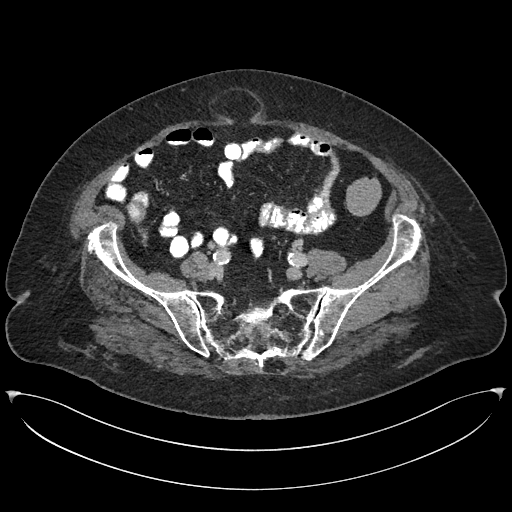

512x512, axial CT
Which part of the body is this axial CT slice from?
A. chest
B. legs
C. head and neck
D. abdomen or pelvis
D. abdomen or pelvis
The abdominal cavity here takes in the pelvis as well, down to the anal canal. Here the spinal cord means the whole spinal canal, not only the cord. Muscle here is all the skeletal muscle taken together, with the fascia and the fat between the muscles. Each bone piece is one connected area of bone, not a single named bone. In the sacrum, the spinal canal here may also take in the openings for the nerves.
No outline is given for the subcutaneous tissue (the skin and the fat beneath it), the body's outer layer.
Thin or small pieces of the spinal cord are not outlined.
Outlined structures:
torso: 237,68 297,75 359,96 407,124 452,164 486,211 505,256 507,283 499,299 507,323 494,351 361,403 257,420 156,407 12,352 4,328 14,304 5,290 7,263 30,202 53,164 84,131 119,107 192,77
spinal cord 1: 226,303 229,303 233,306 235,306 237,307 238,309 238,313 237,315 233,317 231,317 230,316 229,317 226,317 224,315 224,314 222,312 222,310 223,309 223,306 224,304
spinal cord 2: 279,303 281,303 282,304 283,304 283,305 285,307 285,308 286,309 286,312 284,314 283,314 282,315 277,315 276,314 275,314 275,313 274,312 274,307 275,306 275,305 276,305 277,304 278,304
bones: 394,212 421,229 413,258 352,303 314,358 273,356 262,368 246,357 207,358 190,349 157,300 87,250 93,228 113,221 122,260 141,282 165,292 216,292 225,298 221,312 233,318 289,288 361,284 391,249; inner edges: 261,342 264,342 266,344 266,346 267,347 267,348 265,350 264,350 263,351 262,351 261,352 257,352 256,351 255,351 254,350 252,350 250,348 252,346 252,344 253,344 254,343 260,343, then 279,303 281,303 282,304 283,304 283,305 285,307 285,308 286,309 286,312 284,314 283,314 282,315 277,315 276,314 275,314 275,313 274,312 274,307 275,306 275,305 276,305 277,304 278,304
muscle: 233,86 243,86 252,89 262,102 265,109 265,113 269,119 287,118 298,120 330,131 366,149 395,166 405,174 416,187 425,203 426,210 425,230 430,248 430,287 428,298 420,309 419,319 413,330 406,337 346,367 321,377 297,378 281,375 252,374 238,376 232,375 212,380 182,376 152,366 136,357 113,353 101,346 91,336 87,328 87,325 94,314 94,309 91,301 82,291 79,284 82,243 80,241 75,241 73,239 68,226 71,210 77,201 78,196 84,188 101,172 127,152 166,126 188,120 209,120 212,117 208,110 208,103 210,99 223,89; inner edge: 234,91 255,100 253,124 360,154 392,187 369,257 307,252 316,286 369,278 394,212 421,229 309,361 204,357 87,250 93,228 113,221 122,260 141,282 204,283 200,250 182,278 146,272 124,215 96,197 171,130 233,126 217,102
abdominal cavity: 234,91 255,100 253,124 360,154 392,187 369,257 347,267 314,247 305,271 317,287 245,308 195,290 210,267 200,250 179,264 182,278 146,272 124,245 120,209 96,203 130,157 171,130 233,126 217,102